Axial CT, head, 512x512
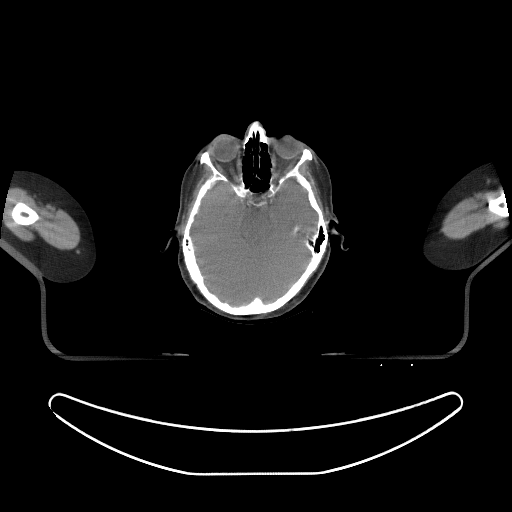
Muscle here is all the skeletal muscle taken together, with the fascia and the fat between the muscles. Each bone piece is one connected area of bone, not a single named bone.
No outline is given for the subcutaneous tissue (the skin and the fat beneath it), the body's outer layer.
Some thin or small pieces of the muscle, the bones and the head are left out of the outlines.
{"right_arm":[[[16,169],[25,169],[35,171],[54,180],[64,187],[79,202],[86,212],[93,231],[96,246],[96,261],[91,271],[83,278],[70,283],[56,283],[50,281],[46,279],[28,260],[0,237],[4,206],[6,203],[6,198],[8,195],[10,182],[14,171]]],"head":[{"outer":[[255,120],[268,136],[294,134],[324,162],[338,219],[331,224],[344,236],[347,249],[334,234],[328,262],[308,295],[279,317],[247,324],[214,315],[196,301],[181,277],[175,238],[164,252],[160,249],[176,220],[183,174],[200,147],[220,133],[243,138]],"hole":[[256,138],[259,144],[265,144],[267,146],[266,151],[268,154],[270,163],[269,167],[270,175],[267,180],[267,186],[261,190],[254,190],[252,189],[250,185],[246,183],[244,180],[244,174],[242,169],[242,161],[246,150],[246,145],[250,140],[254,140]]}],"left_arm":[[[488,161],[492,161],[495,165],[505,196],[507,204],[507,209],[508,210],[510,236],[472,267],[469,267],[461,270],[456,270],[455,271],[439,269],[430,264],[425,259],[422,253],[422,241],[424,237],[426,226],[430,216],[440,198],[456,181],[471,169]]],"brain":[[[290,178],[306,191],[308,203],[317,215],[315,225],[309,228],[311,233],[303,240],[310,253],[305,267],[289,287],[272,300],[264,301],[257,295],[248,302],[232,304],[221,299],[205,282],[191,235],[202,200],[217,182],[223,182],[242,202],[258,209]]],"muscle":[{"outer":[[14,186],[18,186],[28,190],[31,194],[35,194],[37,198],[42,202],[51,203],[63,209],[73,218],[80,230],[80,242],[78,245],[78,253],[73,250],[59,250],[44,242],[22,241],[6,227],[4,223],[4,214],[7,204],[7,196],[10,189]],"hole":[[18,201],[21,201],[27,204],[31,208],[32,208],[37,213],[37,214],[39,216],[39,218],[32,224],[29,224],[28,225],[22,225],[21,224],[18,224],[16,223],[13,220],[11,216],[11,211],[14,205],[16,203],[16,202]]},[[497,188],[501,189],[500,193],[497,196],[489,198],[487,200],[487,210],[490,213],[502,218],[508,217],[508,225],[499,230],[479,230],[460,240],[449,240],[440,233],[439,230],[443,218],[455,204],[462,199],[470,196],[474,192],[485,189]],[[199,158],[199,163],[202,165],[203,164],[206,165],[209,168],[211,173],[201,184],[197,191],[192,206],[188,213],[183,229],[182,236],[180,233],[179,227],[184,211],[185,199],[188,192],[188,187],[190,183],[190,180],[192,177],[195,166],[199,161]],[[313,154],[318,164],[318,167],[320,172],[321,184],[323,189],[323,195],[329,213],[329,218],[328,220],[326,220],[324,218],[323,211],[318,204],[311,183],[300,171],[300,167],[302,164],[305,161],[308,160],[310,161],[313,158]],[[300,291],[300,292],[295,297],[295,299],[292,302],[291,302],[289,304],[288,304],[287,305],[286,305],[285,306],[284,306],[283,307],[282,307],[286,303],[287,303],[292,298],[293,298]],[[314,272],[314,273],[312,275],[312,276],[308,280],[308,281],[306,283],[306,284],[304,286],[304,285],[306,283],[306,282],[308,280],[308,279],[310,277],[310,276]]],"bones":[{"outer":[[304,148],[312,158],[299,171],[328,221],[319,264],[278,309],[235,315],[217,308],[190,278],[181,245],[198,191],[212,173],[200,163],[201,154],[208,151],[212,164],[231,181],[241,167],[245,183],[261,191],[268,186],[270,159],[279,177],[295,165]],"hole":[[290,178],[306,191],[308,203],[317,215],[315,225],[309,228],[311,233],[303,240],[310,253],[305,267],[289,287],[272,300],[264,301],[257,295],[248,302],[232,304],[221,299],[205,282],[191,235],[202,200],[217,182],[223,182],[242,202],[258,209]]},[[18,201],[21,201],[27,204],[31,208],[32,208],[37,213],[37,214],[39,216],[39,218],[32,224],[29,224],[28,225],[22,225],[21,224],[18,224],[16,223],[13,220],[11,216],[11,211],[14,205],[16,203],[16,202]],[[255,120],[257,120],[260,122],[261,125],[265,130],[265,133],[269,137],[268,153],[267,151],[268,146],[265,143],[259,143],[257,137],[254,139],[250,139],[246,143],[244,153],[242,149],[241,146],[242,140],[244,137],[244,135],[248,129],[248,126]],[[501,190],[503,190],[503,192],[505,196],[505,199],[506,200],[506,203],[507,204],[507,209],[508,210],[508,216],[507,217],[502,217],[499,215],[497,215],[494,213],[492,213],[488,210],[488,200],[489,199],[497,197],[501,193]]]}